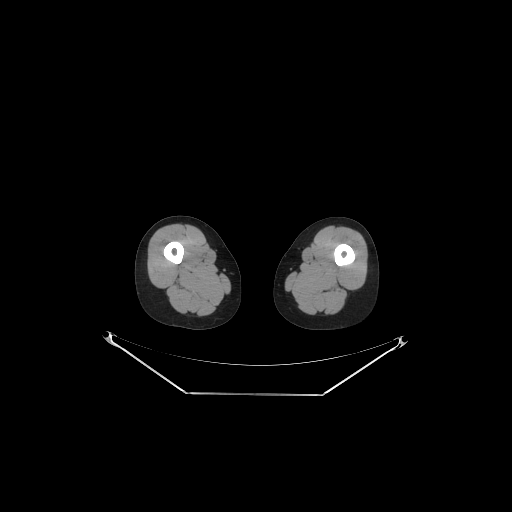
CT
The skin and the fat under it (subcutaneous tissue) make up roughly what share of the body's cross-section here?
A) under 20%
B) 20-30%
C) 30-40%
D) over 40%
Answer: D) over 40%
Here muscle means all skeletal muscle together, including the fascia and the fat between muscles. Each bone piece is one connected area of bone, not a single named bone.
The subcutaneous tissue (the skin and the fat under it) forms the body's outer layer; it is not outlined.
The right leg is outlined by [[177,214],[193,216],[210,225],[220,235],[236,260],[239,267],[241,275],[240,305],[236,313],[231,319],[217,327],[210,329],[196,330],[165,325],[152,319],[147,315],[142,309],[138,301],[134,284],[134,260],[138,244],[145,232],[156,221],[166,216]]. The left leg is outlined by [[328,216],[346,216],[355,219],[360,222],[371,235],[377,250],[380,269],[378,299],[372,313],[365,320],[356,325],[347,328],[335,329],[334,330],[305,329],[298,327],[287,321],[276,309],[272,295],[274,275],[280,259],[297,235],[308,225],[319,219]]. The bones appear in 2 outlined pieces: piece 1: [[339,243],[346,243],[350,246],[351,246],[354,250],[354,252],[355,253],[355,258],[352,263],[351,263],[348,265],[345,265],[344,266],[339,266],[336,264],[336,263],[334,260],[334,257],[333,256],[333,250],[336,246],[336,245]]; piece 2: [[172,240],[177,240],[178,241],[180,241],[181,242],[181,243],[183,245],[183,247],[184,248],[184,254],[183,255],[182,260],[181,261],[181,262],[178,264],[175,264],[174,263],[167,260],[163,255],[163,248],[164,247],[164,246],[168,242],[169,242]]. The muscle appears in 2 outlined pieces: piece 1: [[172,223],[187,223],[199,228],[207,239],[209,245],[216,251],[217,261],[230,280],[231,283],[230,293],[217,308],[217,310],[211,315],[204,317],[187,317],[177,313],[170,307],[166,298],[153,286],[149,280],[147,274],[148,242],[157,229]]; inner edge: [[172,240],[177,240],[178,241],[180,241],[181,242],[181,243],[183,245],[183,247],[184,248],[184,254],[183,255],[182,260],[181,261],[181,262],[178,264],[175,264],[174,263],[167,260],[163,255],[163,248],[164,247],[164,246],[168,242],[169,242]]; piece 2: [[328,225],[342,225],[350,227],[363,236],[368,249],[368,271],[364,285],[348,298],[345,307],[341,312],[332,316],[316,317],[306,315],[297,309],[286,294],[284,281],[287,275],[292,270],[296,269],[301,262],[302,250],[310,244],[313,237],[320,229]]; inner edge: [[339,243],[346,243],[350,246],[351,246],[354,250],[354,252],[355,253],[355,258],[352,263],[351,263],[348,265],[345,265],[344,266],[339,266],[336,264],[336,263],[334,260],[334,257],[333,256],[333,250],[336,246],[336,245]].